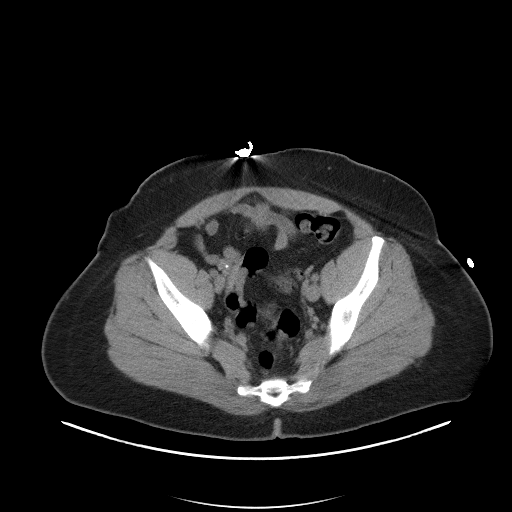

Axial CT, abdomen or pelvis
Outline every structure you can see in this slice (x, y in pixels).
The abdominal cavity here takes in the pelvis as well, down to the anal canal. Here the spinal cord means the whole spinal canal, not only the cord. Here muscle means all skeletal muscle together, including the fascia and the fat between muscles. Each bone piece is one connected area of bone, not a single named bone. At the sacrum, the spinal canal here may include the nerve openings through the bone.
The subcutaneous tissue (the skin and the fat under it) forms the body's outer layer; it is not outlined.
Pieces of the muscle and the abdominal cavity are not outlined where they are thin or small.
{"spinal_cord":[[[273,392],[274,393],[275,393],[276,393],[277,393],[277,394],[276,395],[275,395],[274,395],[273,395],[272,395],[271,394],[270,394],[270,393],[271,393],[272,393]]],"bones":[[[374,235],[380,236],[385,240],[379,255],[378,262],[379,272],[377,282],[360,309],[355,327],[349,339],[338,352],[330,356],[328,354],[329,338],[327,335],[327,327],[332,307],[338,299],[346,295],[357,283],[363,271],[369,251],[371,248],[371,238]],[[146,256],[149,256],[161,268],[162,268],[174,285],[186,297],[193,302],[198,304],[205,311],[209,317],[213,326],[213,331],[211,333],[210,339],[209,340],[209,347],[207,349],[200,346],[189,337],[181,325],[161,299],[157,291],[151,269],[145,259]],[[295,375],[312,379],[309,390],[304,393],[297,391],[292,392],[288,396],[289,398],[278,407],[273,407],[262,402],[257,395],[243,396],[237,393],[239,384],[250,383],[256,385],[261,380],[271,377],[285,377],[288,378],[290,383],[294,380],[290,378]]],"muscle":[[[241,186],[288,187],[327,197],[395,238],[409,255],[420,291],[435,318],[429,351],[397,375],[330,405],[301,412],[279,408],[292,393],[310,390],[313,379],[296,374],[297,357],[308,342],[326,333],[327,354],[332,357],[350,339],[378,282],[386,240],[371,236],[356,283],[330,304],[320,289],[320,272],[354,241],[352,223],[341,210],[281,207],[252,191],[198,224],[177,229],[172,249],[210,275],[214,295],[207,310],[186,296],[149,255],[144,259],[160,299],[191,340],[207,350],[213,334],[244,352],[244,364],[253,380],[239,383],[236,393],[257,396],[272,408],[256,415],[235,415],[198,399],[133,381],[118,370],[106,352],[104,324],[120,262],[152,244],[198,201]]],"abdominal_cavity":[[[252,192],[281,208],[341,211],[351,223],[354,237],[319,272],[321,295],[332,305],[326,332],[314,336],[301,348],[293,376],[266,377],[256,384],[245,364],[245,352],[212,333],[214,326],[206,312],[215,295],[211,275],[173,249],[179,228],[198,225]]],"torso":[[[288,147],[343,153],[396,175],[425,198],[435,217],[440,241],[474,281],[492,321],[493,348],[467,398],[337,434],[262,441],[176,432],[65,400],[44,373],[42,335],[55,303],[95,255],[110,213],[125,204],[151,173],[182,157],[212,152],[247,158]]]}